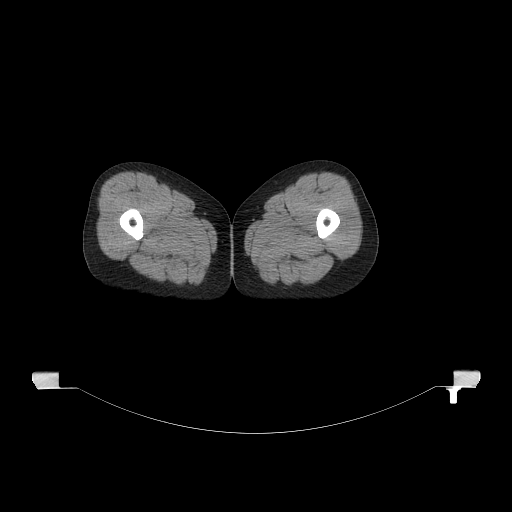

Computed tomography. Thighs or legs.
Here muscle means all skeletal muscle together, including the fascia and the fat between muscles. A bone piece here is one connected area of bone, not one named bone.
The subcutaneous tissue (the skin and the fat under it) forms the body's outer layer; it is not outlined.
Outlines:
left leg: (312, 159) (328, 159) (339, 162) (348, 167) (359, 180) (373, 210) (378, 228) (379, 246) (375, 262) (365, 278) (355, 288) (335, 298) (321, 300) (281, 301) (260, 301) (246, 298) (242, 296) (236, 289) (233, 278) (233, 217) (235, 211) (238, 206) (268, 178) (286, 167)
right leg: (125, 161) (151, 162) (169, 168) (193, 181) (224, 206) (230, 219) (232, 219) (233, 283) (230, 284) (227, 293) (223, 297) (214, 301) (182, 301) (172, 298) (155, 298) (131, 290) (109, 289) (102, 285) (89, 272) (82, 251) (82, 229) (91, 188) (96, 178) (104, 170)
bones 1: (129, 208) (136, 208) (138, 209) (143, 219) (143, 236) (140, 239) (138, 240) (135, 239) (133, 237) (129, 235) (120, 226) (119, 224) (119, 217) (120, 215) (125, 210)
bones 2: (324, 207) (327, 207) (328, 208) (330, 208) (334, 210) (338, 214) (340, 221) (339, 222) (338, 226) (333, 232) (332, 232) (327, 237) (325, 238) (321, 238) (319, 237) (317, 234) (317, 230) (316, 229) (315, 221) (316, 220) (316, 216) (319, 210) (321, 208) (323, 208)
muscle 1: (128, 170) (142, 171) (151, 174) (184, 193) (195, 202) (199, 212) (213, 225) (217, 235) (217, 247) (211, 256) (205, 279) (199, 285) (179, 286) (172, 283) (147, 280) (127, 265) (110, 259) (100, 249) (96, 235) (96, 222) (99, 215) (97, 199) (101, 186) (112, 175), around a hole outlined by (129, 208) (136, 208) (138, 209) (143, 219) (143, 236) (140, 239) (138, 240) (135, 239) (133, 237) (129, 235) (120, 226) (119, 224) (119, 217) (120, 215) (125, 210)
muscle 2: (321, 171) (331, 171) (344, 176) (348, 180) (356, 198) (362, 220) (363, 232) (360, 247) (355, 254) (343, 261) (323, 281) (303, 286) (292, 285) (283, 287) (270, 285) (259, 277) (250, 257) (245, 253) (245, 231) (257, 218) (263, 204) (269, 197) (283, 191) (301, 175); inner edge: (324, 207) (327, 207) (328, 208) (330, 208) (334, 210) (338, 214) (340, 221) (339, 222) (338, 226) (333, 232) (332, 232) (327, 237) (325, 238) (321, 238) (319, 237) (317, 234) (317, 230) (316, 229) (315, 221) (316, 220) (316, 216) (319, 210) (321, 208) (323, 208)